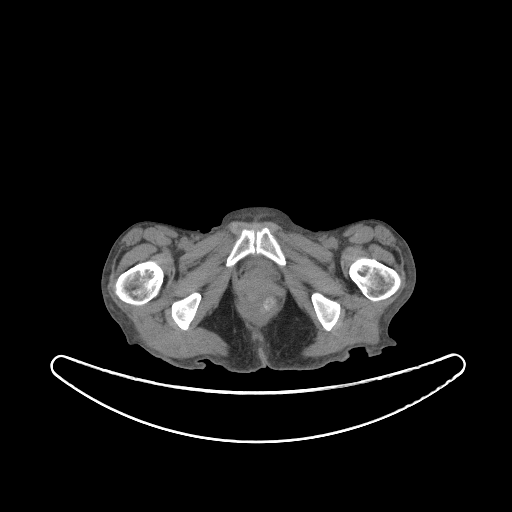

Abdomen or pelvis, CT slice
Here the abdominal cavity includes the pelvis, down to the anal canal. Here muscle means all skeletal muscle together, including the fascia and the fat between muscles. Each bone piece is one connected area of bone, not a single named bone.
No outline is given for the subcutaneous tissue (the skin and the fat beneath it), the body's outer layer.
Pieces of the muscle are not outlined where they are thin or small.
Outlines (x, y in pixels):
abdominal cavity: (249, 255) (261, 255) (271, 260) (278, 266) (283, 276) (283, 292) (282, 293) (281, 301) (277, 309) (261, 325) (259, 325) (257, 327) (252, 326) (249, 323) (246, 316) (244, 315) (240, 307) (239, 299) (235, 291) (235, 277) (234, 275) (236, 272) (236, 264) (239, 261)
bones 1: (147, 260) (151, 260) (156, 262) (161, 267) (164, 274) (163, 283) (161, 286) (161, 288) (158, 294) (149, 301) (142, 305) (133, 305) (132, 304) (124, 302) (121, 300) (115, 293) (114, 286) (118, 276) (121, 273) (127, 270) (135, 264) (140, 262) (143, 262)
bones 2: (360, 257) (373, 258) (383, 263) (385, 265) (394, 269) (398, 273) (401, 280) (400, 282) (400, 285) (398, 289) (389, 297) (382, 300) (379, 300) (378, 301) (372, 301) (367, 298) (361, 292) (358, 287) (350, 278) (349, 276) (349, 273) (348, 272) (350, 265) (355, 260)
bones 3: (265, 226) (269, 228) (271, 233) (277, 240) (286, 260) (285, 265) (280, 267) (271, 259) (261, 254) (249, 254) (239, 260) (235, 265) (231, 267) (227, 267) (225, 265) (226, 259) (235, 241) (239, 236) (241, 230) (243, 228) (247, 228) (248, 229) (253, 229) (256, 231)
bones 4: (193, 292) (199, 292) (201, 295) (201, 299) (199, 302) (199, 304) (198, 305) (196, 313) (194, 316) (194, 318) (190, 323) (189, 327) (186, 330) (183, 330) (181, 329) (176, 324) (176, 323) (173, 320) (171, 316) (171, 305) (174, 301) (178, 300) (179, 299) (181, 299)
bones 5: (314, 292) (319, 292) (326, 297) (338, 302) (340, 305) (340, 313) (339, 314) (339, 317) (336, 323) (329, 331) (327, 331) (323, 328) (323, 327) (319, 322) (316, 316) (316, 314) (315, 313) (315, 311) (313, 307) (313, 304) (311, 301) (311, 295) (312, 293)
torso: (248, 206) (278, 208) (312, 230) (366, 218) (391, 225) (410, 247) (416, 267) (414, 290) (388, 327) (396, 345) (371, 357) (357, 347) (346, 360) (317, 369) (239, 373) (209, 361) (203, 369) (181, 369) (127, 343) (100, 289) (118, 235) (142, 220) (206, 232) (226, 213)
muscle: (256, 217) (315, 241) (323, 235) (339, 236) (359, 223) (380, 224) (391, 232) (404, 258) (407, 286) (382, 314) (377, 343) (353, 343) (323, 356) (303, 357) (299, 353) (313, 341) (317, 329) (289, 290) (281, 309) (254, 335) (234, 304) (231, 278) (218, 305) (200, 323) (228, 344) (228, 355) (201, 354) (180, 359) (163, 355) (138, 337) (134, 325) (107, 290) (113, 259) (122, 238) (134, 227) (161, 225) (180, 235) (202, 239) (231, 221) (251, 221), around holes outlined by (265, 226) (269, 228) (277, 240) (284, 254) (286, 263) (284, 266) (279, 268) (283, 276) (283, 292) (281, 301) (277, 309) (261, 325) (255, 327) (249, 323) (244, 315) (235, 291) (234, 275) (236, 272) (236, 266) (227, 267) (225, 263) (243, 228) (253, 229) (256, 231) and by (147, 260) (151, 260) (156, 262) (161, 267) (164, 274) (163, 283) (161, 286) (161, 288) (158, 294) (149, 301) (142, 305) (133, 305) (132, 304) (124, 302) (121, 300) (115, 293) (114, 286) (118, 276) (121, 273) (127, 270) (135, 264) (140, 262) (143, 262) and by (360, 257) (373, 258) (383, 263) (385, 265) (394, 269) (398, 273) (401, 280) (400, 282) (400, 285) (398, 289) (389, 297) (382, 300) (379, 300) (378, 301) (372, 301) (367, 298) (361, 292) (358, 287) (350, 278) (349, 276) (349, 273) (348, 272) (350, 265) (355, 260) and by (193, 292) (199, 292) (201, 295) (201, 299) (199, 302) (199, 304) (198, 305) (196, 313) (194, 316) (194, 318) (190, 323) (189, 327) (186, 330) (183, 330) (181, 329) (176, 324) (176, 323) (173, 320) (171, 316) (171, 305) (174, 301) (178, 300) (179, 299) (181, 299) and by (314, 292) (319, 292) (326, 297) (338, 302) (340, 305) (340, 313) (339, 314) (339, 317) (336, 323) (329, 331) (327, 331) (323, 328) (323, 327) (319, 322) (316, 316) (316, 314) (315, 313) (315, 311) (313, 307) (313, 304) (311, 301) (311, 295) (312, 293)